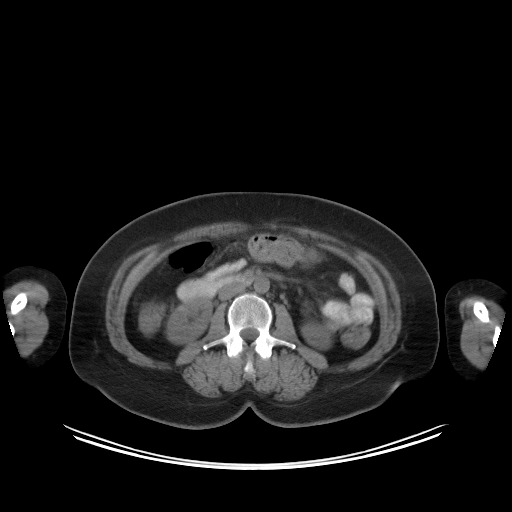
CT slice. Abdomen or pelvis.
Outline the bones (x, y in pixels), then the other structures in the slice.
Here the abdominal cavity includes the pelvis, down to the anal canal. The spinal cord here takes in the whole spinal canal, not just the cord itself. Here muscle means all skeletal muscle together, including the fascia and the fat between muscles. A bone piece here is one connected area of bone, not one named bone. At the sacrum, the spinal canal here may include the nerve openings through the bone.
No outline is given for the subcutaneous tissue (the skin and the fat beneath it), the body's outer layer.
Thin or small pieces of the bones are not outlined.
{"bones":[{"outer":[[244,293],[254,293],[267,301],[273,315],[269,328],[270,334],[295,344],[294,349],[285,345],[275,345],[271,350],[270,357],[263,359],[254,351],[249,353],[246,350],[230,357],[222,343],[207,349],[203,348],[204,344],[228,333],[228,307],[235,297]],"hole":[[247,328],[253,328],[254,329],[255,329],[258,332],[258,335],[252,341],[250,341],[249,342],[248,342],[247,341],[246,341],[241,336],[241,335],[240,334],[240,332],[242,330],[243,330],[244,329],[246,329]]},[[21,291],[23,291],[26,293],[26,295],[27,296],[27,302],[26,303],[26,305],[25,306],[25,307],[23,309],[22,309],[19,312],[18,312],[16,314],[13,315],[10,313],[10,304],[11,303],[12,300],[14,298],[14,297],[19,292],[20,292]],[[475,300],[480,300],[481,301],[482,301],[484,303],[484,304],[486,306],[486,307],[487,308],[487,309],[488,310],[488,314],[489,315],[489,319],[490,320],[489,321],[489,322],[482,322],[474,314],[474,313],[473,312],[473,302]],[[249,356],[249,357],[250,358],[250,359],[252,362],[252,365],[253,366],[253,368],[254,369],[254,371],[252,373],[248,373],[247,372],[246,372],[244,370],[244,366],[245,365],[245,364],[246,363],[246,362],[247,361],[247,360],[248,359]],[[496,325],[498,325],[500,327],[500,331],[499,332],[499,334],[498,335],[498,337],[497,338],[497,339],[496,340],[496,343],[495,344],[495,346],[494,347],[494,346],[493,345],[493,334],[494,333],[494,328],[495,327],[495,326]]],"torso":[[[220,190],[317,195],[357,208],[399,234],[423,262],[435,288],[439,345],[430,371],[418,381],[401,385],[371,410],[295,428],[270,424],[250,407],[217,427],[175,427],[134,414],[82,381],[69,359],[68,333],[74,291],[89,258],[135,217],[194,194]]],"right_arm":[[[31,263],[40,264],[48,268],[57,275],[66,292],[67,307],[64,333],[60,346],[56,353],[42,365],[33,369],[28,369],[20,356],[17,347],[13,341],[13,335],[9,325],[8,316],[5,310],[3,300],[2,276],[4,273],[14,267]]],"spinal_cord":[[[247,328],[253,328],[254,329],[255,329],[258,332],[258,335],[252,341],[250,341],[249,342],[248,342],[247,341],[246,341],[241,336],[241,335],[240,334],[240,332],[242,330],[243,330],[244,329],[246,329]]],"left_arm":[[[465,277],[487,278],[499,284],[507,291],[507,300],[505,305],[503,325],[500,327],[500,331],[487,368],[485,371],[482,372],[476,383],[474,384],[463,379],[454,370],[448,358],[446,347],[446,335],[444,323],[444,297],[451,285]]],"abdominal_cavity":[[[254,228],[299,236],[361,273],[379,314],[378,336],[369,349],[330,364],[299,340],[282,303],[272,303],[273,314],[268,301],[254,292],[235,296],[226,318],[227,304],[219,303],[206,334],[171,362],[146,355],[130,342],[128,301],[160,261],[184,246]]],"muscle":[{"outer":[[224,221],[240,221],[250,224],[259,224],[265,221],[276,221],[278,223],[282,224],[305,226],[308,228],[318,230],[332,235],[350,245],[363,249],[375,256],[386,267],[391,274],[395,282],[400,298],[401,328],[395,345],[381,359],[366,368],[357,371],[347,371],[340,373],[324,373],[320,375],[314,387],[304,397],[290,402],[281,402],[264,396],[257,391],[250,383],[244,384],[236,391],[232,392],[226,396],[217,398],[208,398],[197,393],[185,382],[181,375],[174,370],[162,370],[156,368],[150,368],[140,366],[128,361],[126,356],[116,350],[110,343],[105,324],[105,304],[107,292],[112,279],[123,260],[130,254],[145,246],[169,239],[175,234],[189,228],[199,225]],"holes":[[[254,228],[299,236],[361,273],[379,314],[369,349],[330,364],[299,340],[277,301],[269,332],[295,348],[275,345],[266,359],[246,350],[230,357],[222,343],[203,348],[229,331],[225,302],[206,334],[171,362],[130,342],[128,301],[160,261],[184,246]],[[249,356],[249,357],[250,358],[250,359],[252,362],[252,365],[253,366],[253,368],[254,369],[254,371],[252,373],[248,373],[247,372],[246,372],[244,370],[244,366],[245,365],[245,364],[246,363],[246,362],[247,361],[247,360],[248,359]]]},{"outer":[[27,279],[35,280],[41,283],[45,286],[48,291],[49,299],[44,310],[48,318],[49,326],[42,343],[29,355],[25,357],[21,357],[13,341],[13,336],[15,334],[15,328],[12,322],[8,320],[8,316],[5,310],[3,300],[3,290],[19,281]],"hole":[[21,291],[23,291],[26,293],[26,295],[27,296],[27,302],[26,303],[26,305],[25,306],[25,307],[23,309],[22,309],[19,312],[18,312],[16,314],[13,315],[10,313],[10,304],[11,303],[12,300],[14,298],[14,297],[19,292],[20,292]]},{"outer":[[470,295],[480,295],[488,299],[491,299],[497,303],[505,311],[503,319],[503,325],[500,326],[498,324],[496,324],[493,328],[492,334],[493,352],[485,371],[478,369],[470,363],[460,348],[460,334],[462,326],[462,319],[459,313],[459,303],[463,298]],"hole":[[475,300],[480,300],[481,301],[482,301],[484,303],[484,304],[486,306],[486,307],[487,308],[487,309],[488,310],[488,314],[489,315],[489,319],[490,320],[489,321],[489,322],[482,322],[474,314],[474,313],[473,312],[473,302]]}]}